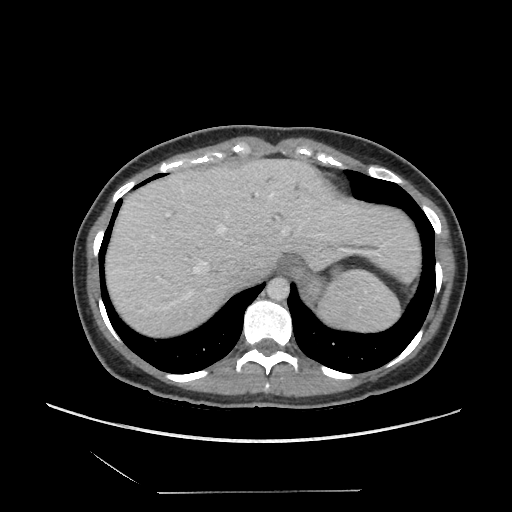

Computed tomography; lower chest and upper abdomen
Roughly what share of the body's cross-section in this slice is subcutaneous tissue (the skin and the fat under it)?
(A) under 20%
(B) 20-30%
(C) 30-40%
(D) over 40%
Answer: (A) under 20%
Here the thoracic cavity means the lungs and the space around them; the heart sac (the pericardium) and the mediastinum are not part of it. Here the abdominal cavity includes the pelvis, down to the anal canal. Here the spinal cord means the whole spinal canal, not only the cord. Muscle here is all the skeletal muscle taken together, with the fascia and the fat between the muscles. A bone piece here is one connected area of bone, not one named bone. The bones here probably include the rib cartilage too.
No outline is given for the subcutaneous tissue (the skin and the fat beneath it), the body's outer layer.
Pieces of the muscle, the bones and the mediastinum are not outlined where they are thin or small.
{"abdominal_cavity":[[[271,152],[307,160],[349,197],[396,206],[413,220],[421,240],[421,274],[400,318],[389,328],[375,333],[329,328],[302,302],[290,278],[274,275],[234,294],[205,323],[182,335],[153,339],[129,327],[110,300],[104,268],[121,198],[131,189],[168,172]]],"spinal_cord":[[[265,338],[269,338],[270,339],[272,339],[276,343],[277,343],[277,344],[279,346],[279,348],[275,352],[272,353],[270,355],[265,355],[264,354],[263,354],[261,352],[260,352],[255,347],[255,345],[258,342],[259,342],[262,339],[264,339]]],"mediastinum":[[[274,276],[285,276],[291,280],[291,282],[290,283],[290,290],[289,291],[289,294],[287,297],[287,307],[288,308],[283,306],[281,304],[277,302],[275,302],[269,299],[265,299],[264,298],[256,298],[260,293],[260,292],[263,289],[265,285],[264,281]],[[308,160],[312,162],[315,162],[320,165],[332,168],[333,167],[334,168],[338,168],[341,170],[343,170],[342,172],[343,175],[347,178],[351,186],[353,194],[357,197],[349,196],[347,194],[347,187],[344,181],[338,175],[330,171],[320,170],[314,164]]],"muscle":[[[397,174],[442,211],[450,232],[455,273],[446,311],[434,336],[412,359],[384,376],[336,393],[299,397],[194,391],[165,383],[133,366],[98,329],[86,290],[86,240],[114,191],[108,223],[96,231],[92,241],[92,253],[98,263],[98,309],[112,336],[164,372],[165,378],[185,383],[205,377],[209,373],[206,368],[231,352],[242,336],[247,348],[235,362],[237,373],[248,362],[259,364],[267,376],[280,362],[289,364],[297,373],[298,358],[286,349],[292,338],[307,357],[320,364],[321,372],[333,379],[350,380],[358,373],[391,367],[420,342],[434,293],[440,292],[443,281],[443,268],[435,257],[435,235],[442,233],[440,218],[429,205],[417,203],[400,185],[404,181]],{"outer":[[244,135],[259,137],[273,145],[287,138],[304,137],[313,139],[362,162],[370,163],[366,167],[365,173],[346,168],[341,161],[322,151],[316,152],[314,155],[315,158],[323,164],[320,164],[286,153],[273,153],[273,151],[253,157],[229,157],[219,161],[214,161],[221,160],[223,159],[226,156],[224,152],[214,150],[196,157],[186,156],[171,161],[162,161],[155,173],[137,183],[134,179],[131,179],[120,185],[132,175],[171,156]],"holes":[[[239,142],[245,142],[246,143],[247,143],[247,144],[249,146],[249,147],[251,150],[250,151],[250,152],[247,154],[239,154],[238,153],[236,153],[235,152],[234,152],[232,150],[231,150],[231,148],[234,145],[235,145],[237,143],[238,143]],[[298,147],[306,147],[308,149],[309,149],[310,150],[311,150],[312,151],[312,152],[313,153],[312,154],[312,155],[311,155],[310,156],[307,156],[305,154],[302,154],[301,153],[298,153],[297,152],[296,152],[296,149]]]}],"torso":[[[230,124],[313,126],[367,138],[405,158],[445,196],[464,238],[467,279],[446,345],[425,375],[411,385],[389,393],[331,408],[228,408],[157,397],[117,379],[103,367],[82,328],[73,291],[72,254],[83,218],[114,173],[141,152],[182,134]]],"thoracic_cavity":[[[345,169],[399,185],[420,207],[434,233],[434,292],[422,325],[395,357],[357,373],[322,364],[299,348],[288,307],[291,283],[301,302],[327,328],[357,334],[383,332],[401,318],[417,291],[423,248],[420,232],[409,214],[396,205],[355,195],[343,173]],[[119,199],[121,199],[121,204],[104,254],[104,280],[115,312],[136,333],[153,340],[182,336],[205,324],[234,295],[264,283],[262,289],[244,310],[239,340],[221,359],[195,371],[183,373],[163,371],[130,349],[113,327],[101,296],[98,256],[112,211]],[[156,173],[166,173],[165,175],[163,176],[161,176],[160,177],[157,177],[154,179],[152,179],[150,181],[148,181],[146,183],[142,185],[140,185],[138,187],[136,187],[135,188],[134,187],[138,183],[141,182],[146,178]]],"bones":[{"outer":[[255,299],[269,300],[288,309],[292,320],[293,337],[286,345],[285,349],[297,358],[297,372],[285,361],[280,361],[273,365],[267,375],[265,369],[254,361],[246,362],[239,372],[236,371],[235,366],[238,358],[248,348],[242,335],[244,313],[246,308]],"hole":[[265,338],[269,338],[270,339],[272,339],[276,343],[277,343],[277,344],[279,346],[279,348],[275,352],[272,353],[270,355],[265,355],[264,354],[263,354],[261,352],[260,352],[255,347],[255,345],[258,342],[259,342],[262,339],[264,339]]},[[214,151],[222,152],[225,154],[225,156],[221,159],[217,159],[213,161],[208,161],[202,163],[196,163],[184,167],[182,166],[176,167],[167,172],[157,172],[158,167],[162,162],[171,162],[186,157],[187,158],[196,158],[202,156],[208,152]],[[370,164],[374,164],[375,165],[382,166],[389,169],[395,174],[396,174],[401,179],[402,179],[403,183],[402,184],[398,184],[391,181],[388,181],[387,180],[384,180],[383,179],[372,177],[368,175],[366,173],[366,171],[367,170],[367,167]],[[421,327],[423,328],[423,333],[421,336],[421,338],[419,342],[412,350],[412,351],[400,361],[393,364],[389,367],[385,367],[384,365],[385,365],[388,362],[395,358],[408,345],[408,344],[415,336],[415,335],[418,332],[418,331],[421,328]],[[203,369],[206,369],[208,372],[208,373],[205,376],[201,377],[200,378],[197,378],[193,380],[186,381],[185,382],[178,382],[177,381],[171,380],[165,377],[165,372],[167,373],[174,373],[175,374],[183,374],[184,373],[195,372],[196,371],[202,370]],[[422,204],[425,204],[429,206],[432,209],[433,209],[437,214],[439,218],[440,223],[441,224],[441,233],[440,234],[438,235],[436,235],[435,234],[434,232],[434,230],[433,229],[433,227],[431,223],[429,221],[428,218],[426,216],[425,213],[420,206]],[[321,364],[329,368],[331,368],[332,369],[334,369],[338,371],[345,372],[346,373],[351,373],[352,374],[354,374],[354,375],[353,377],[350,379],[337,379],[336,378],[333,378],[327,375],[325,375],[322,372],[322,371],[320,369],[320,365]],[[99,297],[101,297],[104,307],[105,308],[105,310],[106,311],[106,313],[107,314],[107,316],[110,321],[110,323],[122,341],[122,343],[119,342],[113,336],[105,324],[103,320],[103,318],[101,315],[101,313],[99,309],[99,306],[98,305],[98,299]],[[319,152],[322,152],[327,155],[330,155],[338,161],[341,162],[344,165],[345,168],[344,169],[341,169],[336,166],[331,165],[328,163],[325,163],[324,164],[322,162],[321,162],[319,160],[318,160],[315,156],[316,153],[318,153]],[[131,180],[134,180],[136,182],[136,184],[132,188],[131,188],[128,191],[127,191],[120,198],[119,198],[115,202],[115,203],[114,203],[112,201],[112,197],[113,196],[113,194],[115,192],[115,191],[120,186],[121,186],[123,184],[124,184]],[[436,260],[438,260],[439,261],[439,262],[440,263],[440,264],[441,265],[441,267],[442,268],[442,281],[441,282],[441,287],[440,288],[440,290],[439,291],[439,292],[437,294],[435,294],[435,261]],[[100,229],[105,229],[105,230],[104,231],[104,233],[103,234],[103,237],[101,241],[101,244],[100,245],[100,247],[98,251],[98,255],[97,257],[95,257],[93,253],[93,241],[94,240],[94,238],[95,237],[95,235],[97,231]],[[239,142],[245,142],[246,143],[247,143],[247,144],[249,146],[249,147],[251,150],[250,151],[250,152],[247,154],[239,154],[238,153],[236,153],[235,152],[234,152],[232,150],[231,150],[231,148],[234,145],[235,145],[237,143],[238,143]]],"pericardium":[[[321,171],[324,171],[325,172],[330,172],[331,173],[333,173],[335,175],[336,175],[337,176],[338,176],[343,181],[343,182],[344,183],[344,184],[346,187],[346,194],[345,193],[344,193],[342,191],[341,191],[331,181],[330,181],[324,175],[324,174]]]}